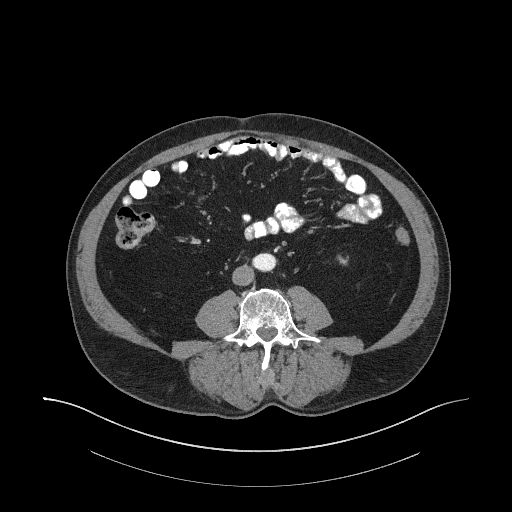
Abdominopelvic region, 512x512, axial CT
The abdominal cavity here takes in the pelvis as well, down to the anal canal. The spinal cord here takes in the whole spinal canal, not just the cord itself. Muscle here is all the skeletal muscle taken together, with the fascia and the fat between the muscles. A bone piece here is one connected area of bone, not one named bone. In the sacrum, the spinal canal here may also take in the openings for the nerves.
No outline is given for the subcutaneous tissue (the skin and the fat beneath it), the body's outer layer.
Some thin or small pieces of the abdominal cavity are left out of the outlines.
{"bones":[{"outer":[[262,371],[269,368],[270,352],[275,344],[296,348],[300,340],[315,342],[321,340],[299,329],[292,318],[290,302],[279,289],[267,287],[248,293],[239,302],[238,327],[234,332],[222,338],[225,341],[236,342],[239,346],[251,347],[259,344],[264,350]],"hole":[[265,340],[269,340],[271,338],[272,338],[276,334],[276,329],[275,329],[274,328],[269,328],[268,329],[266,329],[265,328],[260,328],[259,329],[258,329],[257,330],[257,333],[263,339],[264,339]]}],"muscle":[{"outer":[[235,412],[241,412],[244,410],[248,410],[257,405],[264,398],[263,397],[268,387],[270,387],[274,391],[279,399],[294,407],[310,408],[330,399],[344,387],[351,371],[352,360],[356,355],[387,348],[403,341],[413,334],[420,327],[428,315],[434,303],[440,271],[438,262],[439,259],[438,249],[434,237],[434,231],[432,224],[425,208],[415,194],[403,182],[383,168],[347,150],[318,140],[269,130],[260,130],[251,128],[238,128],[232,130],[224,130],[200,136],[172,146],[145,160],[115,183],[88,213],[81,226],[77,240],[77,247],[75,255],[75,275],[83,305],[89,315],[100,328],[108,333],[135,345],[156,351],[180,361],[190,383],[197,391],[217,406],[226,410]],"hole":[[262,371],[275,344],[321,340],[295,325],[288,287],[328,309],[319,335],[367,347],[409,306],[420,263],[405,214],[367,168],[240,132],[134,176],[95,265],[116,311],[168,352],[174,340],[207,340],[195,316],[232,289],[239,324],[222,338],[259,344]]}],"torso":[[[228,419],[248,417],[269,405],[297,415],[319,416],[387,396],[417,376],[441,335],[452,272],[439,215],[395,158],[343,126],[285,112],[212,115],[178,123],[115,160],[94,183],[74,220],[65,258],[66,288],[78,341],[93,367],[114,387],[146,404]]],"abdominal_cavity":[[[168,352],[174,340],[208,339],[195,324],[208,298],[229,288],[242,298],[262,286],[285,296],[295,284],[332,317],[319,335],[354,334],[367,347],[396,325],[418,284],[417,243],[401,207],[358,163],[249,132],[145,169],[105,219],[96,273],[116,311]]],"spinal_cord":[[[265,340],[269,340],[271,338],[272,338],[276,334],[276,329],[275,329],[274,328],[269,328],[268,329],[266,329],[265,328],[260,328],[259,329],[258,329],[257,330],[257,333],[263,339],[264,339]]]}